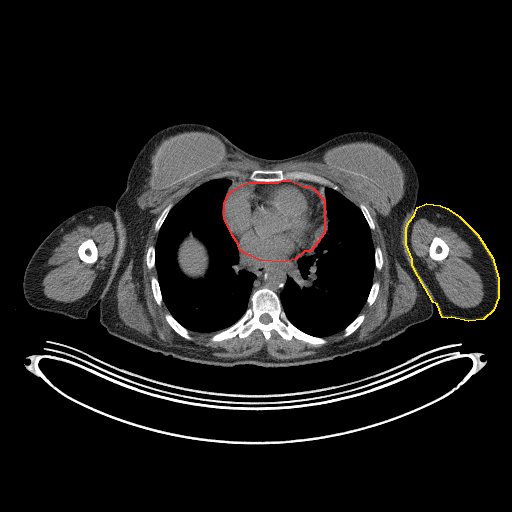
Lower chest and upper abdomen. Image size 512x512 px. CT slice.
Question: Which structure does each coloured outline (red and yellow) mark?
Answer: red: pericardium; yellow: left arm.
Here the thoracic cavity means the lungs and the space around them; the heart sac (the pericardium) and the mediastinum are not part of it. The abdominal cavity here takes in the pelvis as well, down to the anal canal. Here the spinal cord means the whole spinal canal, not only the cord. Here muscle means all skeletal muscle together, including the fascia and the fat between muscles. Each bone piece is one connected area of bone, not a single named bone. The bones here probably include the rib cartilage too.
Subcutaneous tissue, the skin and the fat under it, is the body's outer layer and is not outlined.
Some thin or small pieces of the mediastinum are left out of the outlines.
{"pericardium":[[[282,180],[289,180],[304,186],[309,186],[313,188],[324,200],[324,233],[310,251],[304,251],[295,259],[283,262],[260,260],[246,254],[239,249],[238,244],[232,235],[224,218],[224,203],[228,194],[232,190],[243,184],[249,182],[278,182]]],"left_arm":[[[426,203],[440,205],[447,208],[459,216],[477,234],[492,257],[498,278],[498,297],[493,310],[483,319],[468,321],[451,317],[447,318],[442,317],[437,304],[433,302],[414,269],[412,264],[412,259],[406,244],[406,228],[409,221],[414,215],[417,207]]],"muscle":[{"outer":[[229,155],[237,155],[255,161],[262,165],[263,164],[276,165],[291,161],[309,161],[321,163],[326,162],[331,165],[338,166],[350,173],[359,175],[367,179],[376,186],[386,196],[390,206],[390,210],[386,215],[382,215],[377,211],[376,212],[376,218],[382,231],[386,245],[386,251],[388,255],[388,260],[390,266],[389,269],[390,275],[392,279],[396,278],[396,260],[399,265],[407,272],[415,283],[417,291],[417,296],[414,305],[408,311],[391,320],[370,338],[343,346],[337,345],[334,347],[330,347],[324,350],[318,351],[313,354],[289,359],[273,358],[267,353],[264,348],[247,356],[235,358],[219,357],[213,355],[207,351],[166,345],[126,325],[120,318],[118,313],[117,297],[116,296],[118,281],[131,262],[132,262],[132,275],[139,279],[142,278],[142,258],[144,253],[145,243],[153,220],[156,217],[156,215],[154,213],[147,212],[138,206],[136,201],[137,197],[142,192],[149,188],[160,189],[176,183],[180,180],[183,180],[189,175],[191,175],[197,171],[200,171],[211,165],[221,162],[226,156]],"hole":[[259,169],[305,171],[321,176],[337,185],[353,204],[358,207],[362,203],[367,208],[375,227],[370,231],[373,246],[380,247],[383,259],[381,269],[375,268],[372,277],[373,282],[379,282],[379,290],[370,306],[363,305],[359,313],[365,317],[348,336],[343,336],[342,330],[326,336],[327,342],[314,345],[294,337],[286,340],[274,329],[266,340],[257,328],[244,338],[236,335],[216,342],[210,341],[214,332],[190,331],[192,339],[189,340],[178,334],[165,319],[169,311],[164,302],[160,306],[157,304],[151,288],[151,277],[156,277],[157,271],[155,267],[148,268],[146,254],[148,247],[156,244],[159,232],[155,231],[155,224],[162,211],[213,174],[237,170],[244,177]]},{"outer":[[103,221],[109,221],[112,224],[115,232],[115,243],[106,259],[104,267],[97,272],[97,276],[89,291],[73,302],[62,302],[48,298],[43,292],[42,281],[49,269],[46,264],[54,248],[59,245],[62,237],[66,233],[70,232],[78,225],[93,225]],"hole":[[89,238],[91,238],[96,244],[96,246],[97,247],[97,251],[98,252],[97,253],[97,259],[96,261],[94,263],[92,263],[91,264],[90,263],[86,263],[82,261],[80,259],[78,255],[78,253],[77,252],[78,247],[80,245],[80,244],[83,241]]},{"outer":[[420,218],[426,218],[432,222],[450,227],[470,246],[472,249],[473,256],[471,263],[479,274],[483,285],[484,294],[479,304],[473,307],[464,308],[457,306],[451,302],[444,294],[433,272],[428,268],[426,263],[415,254],[411,247],[410,234],[414,222]],"hole":[[435,236],[440,237],[447,244],[447,245],[449,248],[449,251],[448,252],[448,254],[447,255],[447,256],[444,259],[443,259],[442,260],[440,260],[439,261],[438,261],[437,260],[434,260],[432,258],[431,258],[429,255],[429,246],[432,241],[432,239]]}],"torso":[[[181,123],[210,126],[243,150],[266,159],[297,155],[353,131],[374,132],[394,142],[413,164],[419,180],[405,244],[433,303],[431,317],[361,351],[279,367],[193,362],[108,333],[99,321],[98,302],[113,277],[120,252],[116,202],[143,145],[156,132]]],"thoracic_cavity":[{"outer":[[218,178],[227,178],[231,182],[224,196],[221,216],[237,244],[238,265],[241,269],[253,273],[255,278],[248,299],[249,305],[238,320],[225,329],[215,333],[190,331],[169,312],[163,301],[155,267],[155,245],[159,231],[173,206],[201,183]],"hole":[[189,234],[191,234],[195,238],[199,240],[203,244],[203,245],[205,246],[209,257],[209,262],[208,263],[207,269],[204,275],[202,277],[200,277],[199,278],[190,278],[186,276],[180,269],[177,261],[177,252],[178,251],[178,248],[184,238],[185,238]]},[[326,187],[339,191],[361,211],[370,230],[374,247],[374,270],[365,303],[356,317],[341,331],[321,337],[309,334],[293,324],[287,317],[279,296],[287,278],[292,275],[292,272],[297,267],[298,260],[311,254],[322,236],[328,231],[329,220],[324,193]]],"spinal_cord":[[[263,314],[268,314],[271,317],[271,321],[270,322],[269,322],[268,323],[263,323],[262,322],[261,322],[260,321],[260,317],[261,316],[261,315],[262,315]]],"breast_implant":[[[193,130],[203,131],[214,135],[223,145],[226,155],[225,157],[221,161],[211,164],[200,170],[197,170],[176,182],[160,188],[151,188],[149,186],[149,176],[152,163],[152,156],[156,151],[156,148],[164,139],[171,135]],[[354,141],[370,141],[373,142],[381,146],[398,163],[398,165],[403,172],[404,195],[400,202],[396,206],[392,207],[390,205],[390,202],[387,196],[376,185],[367,178],[359,174],[350,172],[338,165],[331,164],[323,159],[323,156],[325,152],[329,148]]],"bones":[{"outer":[[262,287],[276,293],[286,317],[293,325],[309,335],[324,338],[327,342],[314,345],[294,337],[286,340],[274,329],[270,331],[270,337],[266,340],[257,328],[244,338],[236,335],[221,341],[210,341],[214,334],[230,327],[242,317],[250,305],[252,290]],"hole":[[263,314],[268,314],[271,317],[271,321],[270,322],[269,322],[268,323],[263,323],[262,322],[261,322],[260,321],[260,317],[261,316],[261,315],[262,315]]},[[259,169],[262,170],[278,170],[279,169],[283,171],[305,171],[309,172],[329,180],[337,185],[339,190],[333,189],[331,187],[321,183],[305,180],[304,179],[297,179],[296,180],[282,179],[278,181],[254,181],[247,176],[245,176],[247,176],[252,171]],[[89,238],[91,238],[96,244],[96,246],[97,247],[97,251],[98,252],[97,253],[97,259],[96,261],[94,263],[92,263],[91,264],[90,263],[86,263],[82,261],[80,259],[78,255],[78,253],[77,252],[78,247],[80,245],[80,244],[83,241]],[[435,236],[440,237],[447,244],[447,245],[449,248],[449,251],[448,252],[448,254],[447,255],[447,256],[444,259],[443,259],[442,260],[440,260],[439,261],[438,261],[437,260],[434,260],[432,258],[431,258],[429,255],[429,246],[432,241],[432,239]],[[168,312],[183,327],[184,327],[189,331],[189,333],[190,334],[190,335],[192,337],[192,339],[191,340],[189,340],[188,339],[186,339],[185,338],[184,338],[182,336],[181,336],[179,334],[178,334],[170,326],[170,325],[165,319],[165,314]],[[361,313],[363,313],[365,315],[365,317],[364,318],[364,319],[363,320],[363,321],[361,323],[361,324],[352,333],[351,333],[348,336],[346,336],[345,337],[344,336],[343,336],[343,330],[350,323],[351,323],[357,317],[357,316],[359,314],[360,314]],[[152,276],[155,276],[157,278],[157,280],[158,281],[158,283],[159,284],[159,288],[160,289],[160,291],[161,292],[161,296],[162,297],[162,304],[160,306],[157,304],[157,303],[154,298],[153,293],[152,292],[152,289],[151,288],[151,277]],[[375,281],[378,281],[379,282],[379,290],[378,291],[378,293],[376,296],[376,298],[375,300],[373,302],[373,303],[370,306],[369,306],[366,303],[366,300],[368,297],[368,295],[371,289],[372,284],[373,282]],[[226,170],[237,170],[240,172],[241,174],[241,176],[226,176],[225,177],[218,177],[217,178],[211,178],[210,179],[208,179],[206,180],[206,179],[211,175],[213,174],[215,174],[216,173],[218,173],[219,172],[221,172],[222,171],[225,171]],[[170,203],[171,203],[172,204],[172,207],[169,210],[169,211],[168,212],[165,219],[163,221],[163,222],[162,223],[159,230],[157,232],[156,232],[155,231],[155,224],[156,223],[156,221],[157,220],[158,217],[162,212],[162,211]],[[150,245],[153,245],[154,246],[154,248],[155,249],[155,253],[154,254],[154,267],[153,268],[152,268],[151,269],[149,269],[148,268],[148,267],[147,266],[147,262],[146,261],[146,254],[147,253],[147,249],[148,248],[148,247]],[[361,203],[362,203],[364,205],[365,205],[365,206],[367,208],[367,209],[373,220],[373,222],[374,223],[374,226],[375,227],[373,230],[371,230],[370,229],[370,228],[369,227],[369,225],[368,224],[368,223],[367,222],[362,211],[359,207],[359,205]],[[377,246],[379,246],[380,247],[380,248],[381,249],[381,252],[382,253],[382,258],[383,259],[383,263],[382,264],[382,266],[381,267],[381,269],[380,270],[377,270],[375,268],[375,247],[376,247]]],"right_arm":[[[96,205],[105,205],[115,209],[119,232],[119,252],[112,277],[107,284],[104,293],[99,298],[97,304],[90,309],[85,319],[75,319],[63,314],[35,309],[26,301],[22,288],[23,275],[25,268],[32,254],[40,243],[60,223],[70,216],[86,208]]],"mediastinum":[[[313,248],[311,253],[304,255],[297,260],[296,267],[291,272],[291,275],[286,278],[279,295],[271,288],[266,286],[253,289],[253,283],[256,275],[251,271],[241,268],[239,265],[239,250],[246,255],[260,261],[283,263],[295,260],[304,252],[310,252]],[[242,176],[243,177],[247,177],[250,180],[253,181],[249,181],[248,182],[243,183],[232,189],[227,194],[224,202],[224,200],[225,199],[225,196],[227,193],[227,191],[229,187],[232,184],[232,182],[231,180],[229,178],[226,177],[241,177]],[[297,180],[304,180],[305,181],[314,182],[315,183],[321,184],[324,186],[326,186],[323,190],[324,199],[323,199],[323,198],[319,194],[319,193],[317,192],[317,191],[313,187],[309,185],[304,185],[301,183],[298,183],[297,182],[292,181],[296,181]]],"abdominal_cavity":[[[189,234],[191,234],[195,238],[199,240],[203,244],[203,245],[205,246],[209,257],[209,262],[208,263],[207,269],[204,275],[202,277],[200,277],[199,278],[190,278],[186,276],[180,269],[177,261],[177,252],[178,251],[178,248],[184,238],[185,238]]]}